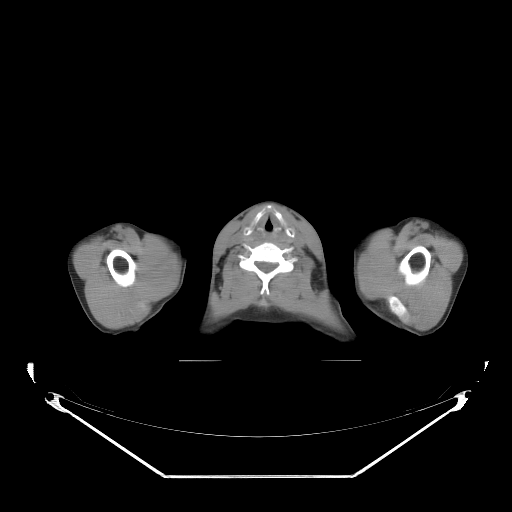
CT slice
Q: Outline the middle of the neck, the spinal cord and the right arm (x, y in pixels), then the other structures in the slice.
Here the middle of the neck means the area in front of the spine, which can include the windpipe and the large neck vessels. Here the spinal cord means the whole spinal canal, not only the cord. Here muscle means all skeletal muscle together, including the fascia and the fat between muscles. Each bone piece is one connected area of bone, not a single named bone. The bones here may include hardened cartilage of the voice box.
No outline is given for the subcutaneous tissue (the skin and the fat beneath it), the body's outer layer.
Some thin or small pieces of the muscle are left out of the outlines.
A: middle of the neck: (268, 209) (273, 211) (274, 215) (278, 219) (280, 223) (284, 226) (284, 231) (291, 238) (291, 240) (289, 241) (278, 241) (277, 240) (275, 241) (268, 241) (265, 240) (264, 241) (260, 239) (248, 239) (246, 238) (253, 231) (253, 226) (257, 223) (262, 215)
spinal cord: (256, 262) (269, 262) (270, 263) (276, 263) (277, 264) (277, 265) (272, 270) (271, 270) (270, 271) (269, 271) (268, 272) (265, 272) (264, 271) (263, 271) (262, 270) (261, 270) (256, 265) (256, 264) (255, 263)
right arm: (116, 221) (127, 221) (146, 230) (154, 232) (162, 232) (172, 237) (181, 245) (181, 247) (186, 254) (187, 263) (181, 289) (156, 315) (134, 332) (109, 335) (98, 330) (90, 322) (83, 311) (76, 297) (67, 271) (66, 257) (70, 246) (78, 238) (92, 230)
bones 1: (265, 241) (272, 242) (282, 249) (293, 247) (290, 254) (297, 258) (291, 271) (277, 273) (270, 279) (267, 285) (269, 290) (267, 295) (260, 293) (262, 281) (257, 274) (240, 267) (238, 256) (239, 254) (246, 254) (247, 256) (249, 254) (243, 246) (244, 243) (254, 247) with a hole at (256, 262) (269, 262) (270, 263) (276, 263) (277, 264) (277, 265) (272, 270) (271, 270) (270, 271) (269, 271) (268, 272) (265, 272) (264, 271) (263, 271) (262, 270) (261, 270) (256, 265) (256, 264) (255, 263)
bones 2: (417, 245) (419, 246) (424, 246) (429, 250) (431, 254) (431, 259) (430, 260) (430, 266) (429, 267) (429, 270) (428, 271) (427, 276) (425, 278) (425, 279) (419, 285) (409, 286) (405, 284) (404, 282) (404, 277) (398, 272) (398, 265) (402, 258) (413, 247)
bones 3: (115, 248) (120, 248) (124, 250) (126, 252) (127, 252) (132, 257) (133, 260) (136, 264) (136, 269) (135, 270) (135, 280) (131, 285) (127, 286) (126, 287) (120, 286) (116, 283) (116, 282) (113, 279) (108, 269) (108, 267) (106, 263) (106, 256) (107, 254) (111, 250)
bones 4: (267, 204) (270, 204) (282, 215) (288, 227) (293, 228) (295, 232) (295, 235) (293, 238) (290, 237) (286, 233) (285, 226) (281, 223) (275, 215) (274, 211) (269, 208) (265, 210) (256, 223) (252, 226) (252, 231) (246, 236) (243, 234) (243, 228) (248, 226) (255, 215)
bones 5: (390, 295) (394, 295) (396, 296) (406, 307) (407, 309) (407, 312) (408, 313) (408, 316) (407, 318) (404, 321) (403, 321) (401, 319) (397, 317) (390, 311) (389, 309) (389, 307) (388, 306) (388, 302) (387, 301) (387, 299)
muscle 1: (263, 203) (275, 203) (287, 208) (296, 218) (305, 221) (315, 233) (321, 249) (325, 289) (345, 325) (345, 332) (333, 330) (297, 314) (274, 308) (263, 309) (255, 306) (238, 310) (216, 321) (210, 321) (210, 299) (215, 282) (215, 248) (218, 238) (228, 224) (252, 207) with a hole at (267, 204) (275, 208) (295, 232) (289, 241) (272, 242) (282, 249) (293, 247) (290, 254) (297, 258) (291, 271) (277, 273) (270, 279) (267, 295) (260, 293) (262, 281) (257, 274) (240, 267) (238, 256) (249, 254) (244, 243) (254, 247) (264, 241) (246, 238) (243, 228)
muscle 2: (117, 224) (131, 227) (146, 234) (155, 234) (166, 239) (178, 254) (181, 260) (181, 267) (176, 288) (166, 296) (161, 303) (154, 306) (141, 321) (119, 329) (110, 329) (99, 323) (91, 313) (84, 295) (83, 281) (76, 273) (72, 262) (72, 254) (74, 249) (81, 242); inner edge: (115, 248) (120, 248) (124, 250) (126, 252) (127, 252) (132, 257) (133, 260) (136, 264) (136, 269) (135, 270) (135, 280) (131, 285) (127, 286) (126, 287) (120, 286) (116, 283) (116, 282) (113, 279) (108, 269) (108, 267) (106, 263) (106, 256) (107, 254) (111, 250)
muscle 3: (413, 219) (426, 221) (454, 237) (463, 249) (463, 259) (453, 275) (446, 309) (434, 326) (423, 331) (400, 321) (404, 322) (409, 313) (396, 295) (390, 294) (386, 299) (389, 312) (382, 309) (377, 301) (366, 299) (357, 280) (357, 260) (367, 239) (380, 229) (394, 231) with a hole at (417, 245) (419, 246) (424, 246) (429, 250) (431, 254) (431, 259) (430, 260) (430, 266) (429, 267) (429, 270) (428, 271) (427, 276) (425, 278) (425, 279) (419, 285) (409, 286) (405, 284) (404, 282) (404, 277) (398, 272) (398, 265) (402, 258) (413, 247)
head and neck: (266, 199) (277, 200) (292, 207) (303, 215) (317, 231) (323, 246) (331, 288) (344, 316) (358, 336) (357, 343) (345, 345) (300, 324) (274, 325) (238, 320) (217, 334) (207, 337) (196, 335) (195, 324) (206, 299) (211, 277) (212, 247) (218, 232) (228, 220) (244, 208)
left arm: (413, 215) (419, 215) (431, 218) (457, 233) (465, 241) (469, 253) (467, 271) (448, 318) (439, 329) (426, 336) (418, 336) (408, 331) (399, 329) (383, 321) (368, 311) (360, 303) (355, 294) (352, 275) (353, 248) (354, 245) (362, 236) (378, 226) (394, 224) (403, 218)